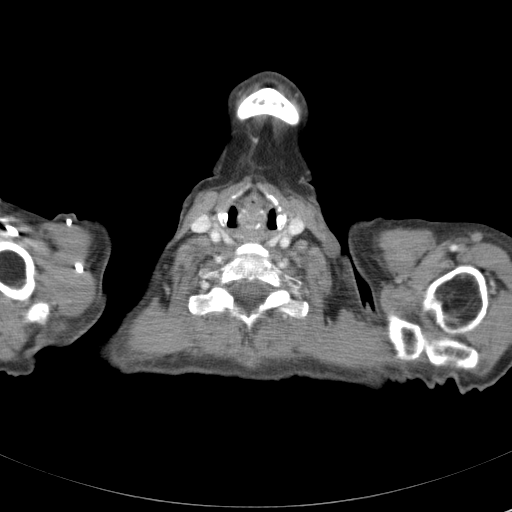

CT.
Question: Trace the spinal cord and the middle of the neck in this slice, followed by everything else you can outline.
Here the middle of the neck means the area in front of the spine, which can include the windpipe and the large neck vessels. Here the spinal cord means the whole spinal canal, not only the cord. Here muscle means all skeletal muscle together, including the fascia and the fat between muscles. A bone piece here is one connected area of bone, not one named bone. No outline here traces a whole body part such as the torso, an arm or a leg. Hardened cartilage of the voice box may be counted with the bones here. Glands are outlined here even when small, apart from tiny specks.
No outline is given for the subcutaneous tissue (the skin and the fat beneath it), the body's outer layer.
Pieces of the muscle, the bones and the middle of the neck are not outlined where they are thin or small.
Answer: {"spinal_cord":[[[243,279],[245,279],[249,282],[257,280],[265,285],[268,285],[271,288],[271,291],[265,296],[263,301],[258,305],[255,310],[252,311],[249,314],[246,314],[240,311],[240,308],[235,304],[234,300],[235,297],[229,289],[229,286],[233,282],[241,281]]],"middle_of_the_neck":[[[253,187],[264,192],[275,208],[277,233],[289,219],[298,219],[303,224],[303,231],[284,250],[274,248],[270,251],[257,241],[246,241],[232,249],[214,244],[207,233],[192,230],[203,213],[215,215],[217,221],[211,224],[212,230],[225,228],[228,205]]],"thyroid_glands":[[[216,223],[217,223],[217,224],[217,225],[218,226],[218,227],[219,228],[218,229],[217,229],[216,229],[215,229],[214,229],[213,229],[212,229],[213,228],[213,227],[213,226],[213,225],[212,224],[213,224],[214,224],[215,224]]],"muscle":[{"outer":[[253,169],[274,182],[280,176],[286,177],[291,187],[310,201],[335,242],[339,255],[351,264],[361,304],[371,309],[374,291],[368,243],[376,230],[424,227],[435,234],[458,234],[501,246],[511,258],[511,346],[484,376],[468,373],[441,380],[433,380],[429,375],[377,376],[332,368],[309,360],[237,357],[197,350],[178,350],[166,356],[136,362],[112,362],[106,346],[140,299],[196,194],[210,186],[227,184],[239,174]],"holes":[[[253,187],[273,195],[288,220],[303,224],[284,250],[270,250],[269,259],[302,282],[299,297],[310,307],[302,318],[271,309],[248,330],[227,311],[193,314],[187,300],[206,291],[201,269],[217,270],[235,256],[207,233],[194,232],[194,223]],[[459,265],[477,268],[488,290],[481,322],[465,335],[453,337],[477,351],[477,365],[470,369],[450,364],[437,367],[424,351],[412,360],[396,358],[387,334],[387,314],[418,324],[429,339],[442,337],[444,333],[433,316],[422,310],[421,301],[432,281]]]},[[0,210],[18,213],[31,224],[70,221],[87,226],[94,234],[89,268],[102,294],[95,317],[79,335],[66,343],[43,345],[15,362],[0,362],[0,293],[25,307],[25,324],[44,326],[51,305],[36,293],[42,275],[32,255],[19,243],[0,239]],[[265,78],[272,78],[284,84],[296,97],[300,108],[299,109],[298,106],[286,97],[282,92],[273,87],[274,85],[270,82],[266,82],[264,84],[265,86],[267,86],[263,86],[252,91],[245,96],[236,106],[236,100],[239,93],[241,91],[253,83]],[[260,115],[268,115],[269,116],[275,117],[283,121],[286,124],[287,124],[288,126],[282,130],[276,137],[275,136],[275,133],[273,129],[273,126],[269,122],[266,122],[260,128],[248,128],[247,125],[244,122],[244,121],[249,120],[254,116],[259,116]]],"bones":[[[459,265],[477,268],[488,290],[481,322],[465,335],[453,337],[477,351],[477,365],[470,369],[450,364],[437,367],[424,351],[412,360],[396,358],[387,334],[387,314],[418,324],[429,339],[442,337],[444,333],[433,316],[422,310],[421,301],[432,281]],{"outer":[[246,242],[261,244],[269,251],[269,259],[275,265],[279,263],[282,272],[302,282],[299,297],[310,305],[304,317],[296,318],[271,309],[248,330],[227,311],[204,315],[190,312],[188,297],[206,291],[200,285],[199,271],[217,270],[235,256],[238,246]],"hole":[[243,279],[245,279],[249,282],[257,280],[265,285],[268,285],[271,288],[271,291],[265,296],[263,301],[258,305],[255,310],[252,311],[249,314],[246,314],[240,311],[240,308],[235,304],[234,300],[235,297],[229,289],[229,286],[233,282],[241,281]]},[[0,240],[13,241],[19,244],[31,255],[37,265],[37,268],[41,275],[41,279],[38,282],[38,286],[35,293],[37,294],[39,298],[46,301],[50,305],[50,313],[47,322],[44,325],[23,322],[23,312],[26,307],[21,302],[13,300],[0,292]],[[263,87],[272,87],[276,89],[282,93],[286,98],[297,106],[299,110],[299,121],[297,124],[295,125],[290,125],[283,120],[275,116],[268,114],[254,115],[244,120],[240,120],[237,118],[236,116],[236,109],[238,104],[245,97],[252,92]],[[265,192],[267,192],[273,195],[277,199],[278,203],[282,209],[281,211],[283,213],[285,213],[287,217],[287,220],[285,225],[281,230],[277,232],[277,225],[276,224],[277,211],[276,210],[276,208],[273,205],[273,204],[268,199],[267,199],[267,194]]]}